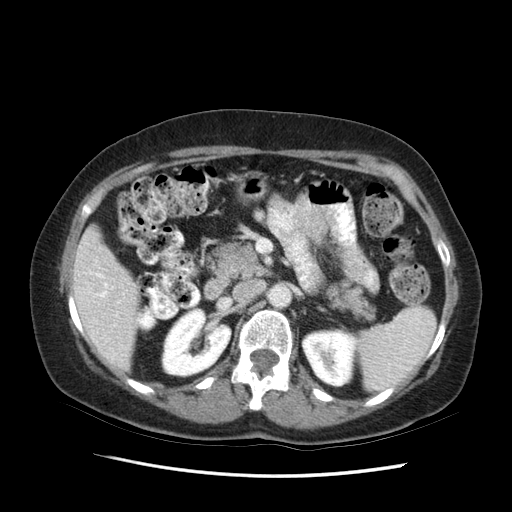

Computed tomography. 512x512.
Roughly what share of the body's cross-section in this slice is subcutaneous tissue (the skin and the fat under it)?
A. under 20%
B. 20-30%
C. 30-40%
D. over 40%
B. 20-30%
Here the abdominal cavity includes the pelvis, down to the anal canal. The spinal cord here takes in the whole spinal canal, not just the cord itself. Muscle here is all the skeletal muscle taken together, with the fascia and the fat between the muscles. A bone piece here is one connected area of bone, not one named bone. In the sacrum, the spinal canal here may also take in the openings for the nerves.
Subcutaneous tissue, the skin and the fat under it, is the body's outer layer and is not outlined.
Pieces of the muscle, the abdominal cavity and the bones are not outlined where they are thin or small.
{"spinal_cord":[[[261,373],[267,373],[269,372],[270,371],[270,368],[275,363],[276,363],[278,360],[278,356],[271,350],[269,350],[268,349],[259,349],[258,350],[255,350],[253,352],[252,352],[252,353],[250,355],[250,358],[254,363],[254,366],[253,367],[253,369]]],"bones":[{"outer":[[254,411],[262,407],[261,397],[266,391],[269,389],[285,391],[290,381],[291,373],[288,361],[293,344],[292,332],[287,318],[282,313],[271,309],[254,313],[242,325],[238,339],[240,354],[231,372],[233,383],[242,382],[250,386],[252,397],[248,405]],"hole":[[261,373],[267,373],[269,372],[270,371],[270,368],[275,363],[276,363],[278,360],[278,356],[271,350],[269,350],[268,349],[259,349],[258,350],[255,350],[253,352],[252,352],[252,353],[250,355],[250,358],[254,363],[254,366],[253,367],[253,369]]},[[413,204],[416,203],[416,198],[415,197],[415,195],[411,188],[410,184],[407,181],[399,169],[395,166],[390,164],[373,163],[370,165],[371,167],[373,167],[376,169],[379,169],[382,171],[395,183],[399,185],[404,192],[406,199],[410,203],[412,203]],[[83,221],[85,221],[85,220],[93,212],[93,211],[101,200],[101,197],[102,196],[102,194],[104,192],[104,190],[105,189],[103,187],[100,188],[97,191],[96,191],[96,192],[94,193],[83,205],[82,209],[81,210],[81,212],[80,213],[80,218]],[[425,360],[426,359],[428,359],[434,353],[443,338],[443,336],[445,332],[446,324],[444,320],[442,319],[440,321],[440,323],[438,326],[438,329],[436,332],[436,335],[434,337],[432,344],[430,348],[428,350],[428,352],[424,357],[424,359]],[[86,340],[87,340],[85,334],[83,331],[83,329],[81,326],[81,323],[79,320],[79,317],[77,314],[77,310],[75,307],[75,303],[73,300],[73,296],[72,294],[70,293],[68,295],[68,308],[69,309],[70,316],[76,328],[79,331],[81,335]],[[444,269],[446,268],[449,265],[450,263],[449,252],[448,251],[447,246],[444,242],[444,241],[441,238],[437,238],[436,239],[433,239],[433,242],[434,243],[434,245],[438,252],[438,254],[440,257],[440,259],[442,262],[442,264],[443,265],[443,267]],[[364,406],[372,406],[373,405],[375,405],[378,403],[380,403],[382,401],[383,401],[385,399],[386,399],[393,392],[393,391],[394,390],[394,386],[392,386],[391,387],[390,387],[389,388],[378,393],[376,395],[370,397],[363,404],[363,405]],[[146,395],[148,395],[149,394],[154,394],[155,393],[155,391],[151,387],[150,387],[148,385],[140,381],[135,380],[129,377],[127,377],[125,379],[125,381],[126,383],[127,383],[130,386],[134,388],[137,391],[143,394],[145,394]],[[322,401],[332,401],[333,400],[334,400],[335,399],[335,398],[333,396],[332,396],[330,394],[327,393],[325,391],[324,391],[321,389],[319,389],[318,388],[316,388],[315,387],[313,387],[312,388],[312,393],[317,399],[318,399],[319,400],[321,400]]],"muscle":[{"outer":[[298,430],[337,425],[380,409],[427,380],[440,364],[459,297],[456,260],[445,231],[413,178],[396,162],[358,150],[273,150],[239,145],[192,146],[154,154],[106,176],[80,201],[58,265],[58,289],[66,304],[66,317],[75,345],[91,371],[130,394],[181,419],[219,424],[253,411],[247,405],[251,397],[249,386],[230,381],[231,367],[239,354],[236,344],[224,360],[189,384],[166,387],[159,382],[143,382],[156,391],[146,396],[126,384],[126,376],[106,366],[75,328],[68,313],[67,295],[71,292],[73,252],[84,223],[79,218],[82,205],[102,186],[106,189],[102,198],[112,188],[140,173],[199,158],[280,154],[385,179],[390,179],[371,168],[371,163],[390,163],[401,170],[417,198],[416,204],[410,204],[425,222],[432,239],[441,237],[450,252],[451,263],[444,270],[445,301],[441,317],[447,324],[444,338],[428,360],[422,360],[386,400],[372,407],[362,405],[368,398],[317,400],[311,388],[321,388],[300,363],[293,345],[289,389],[266,392],[262,397],[263,407],[258,411],[282,427]],"holes":[[[198,389],[203,389],[204,388],[208,388],[210,387],[212,383],[215,380],[216,378],[212,376],[210,377],[206,377],[204,378],[201,381],[197,383],[194,386],[195,388],[197,388]],[[133,171],[141,171],[142,170],[143,170],[147,166],[147,164],[145,164],[144,165],[141,165],[140,166],[138,166],[137,167],[136,167],[135,168],[134,168],[132,170]]]}],"torso":[[[298,445],[329,445],[402,429],[446,407],[465,384],[479,327],[482,281],[470,240],[433,168],[401,138],[363,122],[250,108],[219,108],[175,116],[104,147],[66,187],[32,251],[28,279],[30,317],[49,378],[70,398],[144,430],[194,440],[262,438]]],"abdominal_cavity":[[[340,398],[369,397],[404,379],[423,359],[441,316],[441,262],[424,222],[392,181],[300,158],[254,154],[178,164],[140,174],[108,192],[82,228],[71,277],[88,343],[106,365],[141,381],[189,383],[224,359],[245,320],[271,308],[288,318],[311,377]]]}